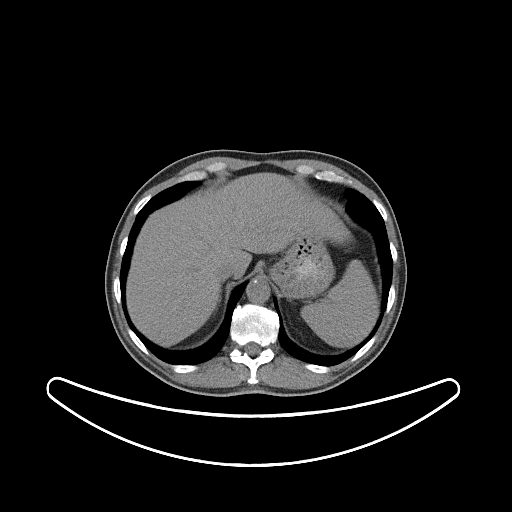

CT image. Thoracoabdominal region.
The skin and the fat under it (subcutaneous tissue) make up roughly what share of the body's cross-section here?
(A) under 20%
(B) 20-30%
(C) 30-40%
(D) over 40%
Answer: (A) under 20%
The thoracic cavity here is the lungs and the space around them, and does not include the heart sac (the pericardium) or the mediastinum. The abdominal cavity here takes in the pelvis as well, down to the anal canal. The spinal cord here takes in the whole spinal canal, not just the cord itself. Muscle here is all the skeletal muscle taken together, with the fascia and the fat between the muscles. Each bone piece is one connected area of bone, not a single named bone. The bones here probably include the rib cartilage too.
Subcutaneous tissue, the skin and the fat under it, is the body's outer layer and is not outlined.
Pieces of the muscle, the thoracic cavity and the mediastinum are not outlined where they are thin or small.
The bones appear in 13 outlined pieces: piece 1: 244,304 256,304 269,308 274,310 279,316 277,340 270,345 274,355 269,362 258,366 256,370 258,382 255,384 250,384 247,381 250,376 250,369 241,362 232,361 229,354 236,345 229,336 232,314 237,305, around a hole outlined by 249,342 254,342 255,343 256,343 257,344 258,344 261,347 261,350 259,352 259,353 257,355 256,355 255,356 251,356 250,355 249,355 243,349 243,347 247,343 248,343; piece 2: 301,164 309,165 313,167 317,171 322,171 323,170 331,170 334,171 337,174 341,175 347,179 350,179 353,184 355,185 357,188 354,188 343,183 317,179 313,177 312,175 302,175 296,171 296,167; piece 3: 219,161 226,163 227,166 225,169 221,171 209,173 202,179 185,180 184,181 176,183 171,186 169,186 169,185 179,176 181,176 193,170 199,170 200,169 203,169 210,163 212,163 213,162 218,162; piece 4: 375,334 375,335 376,336 376,338 375,339 375,340 374,341 374,342 371,345 371,346 361,356 360,356 358,358 357,358 355,360 354,360 353,361 351,361 350,360 350,359 355,354 355,353 363,345 364,345; piece 5: 128,327 129,327 135,333 135,334 139,338 139,339 143,343 143,344 149,351 149,354 146,354 143,351 142,351 136,345 136,344 132,340 132,339 130,337 130,336 128,333 128,331 127,330 127,328; piece 6: 171,364 175,364 176,365 196,365 197,366 197,369 196,369 195,370 194,370 193,371 191,371 190,372 184,372 183,373 181,373 180,372 176,372 175,371 174,371 172,369 172,368 171,367; piece 7: 306,363 309,363 310,364 315,364 316,365 321,365 322,366 328,366 329,367 329,370 327,372 325,372 324,373 318,373 317,372 314,372 313,371 311,371 310,370 309,370 308,369 307,369 304,366 304,365; piece 8: 392,283 394,285 394,288 395,289 395,297 394,298 394,300 392,303 392,305 389,311 387,313 385,313 385,310 386,309 386,305 387,304 387,299 388,298 388,294 389,293 389,290 390,289 390,287; piece 9: 117,276 118,276 119,277 119,286 120,287 120,293 121,294 121,304 120,304 119,303 118,303 118,302 117,301 117,300 115,297 115,294 114,293 114,291 113,290 113,280 114,279 114,278; piece 10: 148,194 151,194 152,195 151,198 143,206 143,207 137,213 137,214 136,215 134,215 134,214 133,213 133,211 135,208 135,206 136,205 136,204 139,200 140,200 143,197 144,197; piece 11: 373,199 376,199 380,203 381,203 383,205 383,206 386,211 386,214 387,215 387,220 386,221 384,221 383,218 381,216 381,215 380,214 380,213 378,211 377,208 375,206 375,205 372,202 372,200; piece 12: 389,241 391,241 392,242 392,243 394,245 394,246 395,247 395,248 396,249 396,251 397,252 397,258 396,259 396,261 395,262 393,262 393,261 392,260 392,257 391,256 391,252 390,251 390,247 389,246; piece 13: 125,236 128,236 128,237 127,238 127,242 126,243 126,246 125,247 125,249 124,250 123,255 122,256 122,257 121,257 121,256 120,255 120,246 121,245 122,240 123,239 123,238. The abdominal cavity is outlined by 262,164 311,177 324,192 346,200 349,215 371,232 382,284 380,313 371,331 342,353 312,353 288,337 270,280 254,273 231,291 223,320 205,343 185,350 153,343 136,328 126,305 126,278 142,224 209,174. The mediastinum appears in 2 outlined pieces: piece 1: 254,274 261,274 262,276 264,276 269,280 269,282 271,284 271,287 273,290 273,306 274,309 256,303 237,304 246,287 247,284 247,281 246,280 253,276; piece 2: 312,177 317,180 343,184 346,186 349,186 353,188 349,188 346,191 346,197 345,198 346,199 340,199 339,197 336,197 335,195 332,195 331,193 328,193 324,191 321,188 318,187 318,186 316,185 310,178. The torso is outlined by 216,149 314,150 332,154 366,171 386,195 399,226 407,264 403,306 393,333 379,355 339,385 319,393 297,396 191,393 165,383 144,369 116,335 106,304 104,273 112,235 125,207 142,184 168,164 197,152. The spinal cord is outlined by 249,342 254,342 255,343 256,343 257,344 258,344 261,347 261,350 259,352 259,353 257,355 256,355 255,356 251,356 250,355 249,355 243,349 243,347 247,343 248,343. The thoracic cavity appears in 2 outlined pieces: piece 1: 196,180 200,181 198,185 151,211 139,228 125,278 129,318 153,344 170,351 191,350 216,333 232,291 243,282 246,284 231,314 229,337 220,351 196,364 168,363 152,353 128,325 119,275 138,213 161,191; piece 2: 349,189 360,192 370,200 384,222 392,261 391,283 384,313 375,333 351,357 329,366 310,363 292,356 280,345 280,322 287,337 300,348 320,356 335,356 361,343 372,331 381,313 383,284 375,238 347,211. The muscle appears in 3 outlined pieces: piece 1: 384,205 394,227 398,244 400,267 396,308 382,340 359,363 323,385 289,389 258,383 257,370 259,366 269,363 273,359 275,353 271,345 277,341 285,352 305,362 303,366 307,370 318,374 327,373 330,366 348,359 351,362 355,361 375,342 376,332 382,318 384,314 390,311 396,297 392,277 393,263 397,261 398,258 398,252 397,251 393,242 388,238 385,225 388,215; piece 2: 135,204 132,211 135,218 128,235 122,238 119,246 121,258 119,274 112,280 114,297 121,305 129,337 146,355 150,352 170,364 174,372 181,374 197,370 197,364 216,356 229,338 235,345 228,354 229,358 232,362 241,363 249,369 249,376 246,380 248,384 242,383 231,387 196,387 179,383 146,361 124,337 116,319 111,296 112,270 118,237; piece 3: 216,156 231,157 232,158 238,158 245,160 257,160 258,161 266,160 267,159 276,159 277,160 315,159 316,160 324,161 339,167 372,189 380,198 383,204 376,198 373,198 371,200 369,199 363,193 356,189 358,188 357,186 354,184 353,181 350,178 347,178 331,169 317,170 313,166 305,163 298,164 295,167 295,171 291,171 277,165 269,163 262,163 256,165 251,165 238,169 226,169 228,166 227,163 220,160 210,162 203,168 193,169 181,175 179,175 168,185 168,187 161,190 153,196 151,193 148,193 139,199 146,190 173,176 184,167 196,161.